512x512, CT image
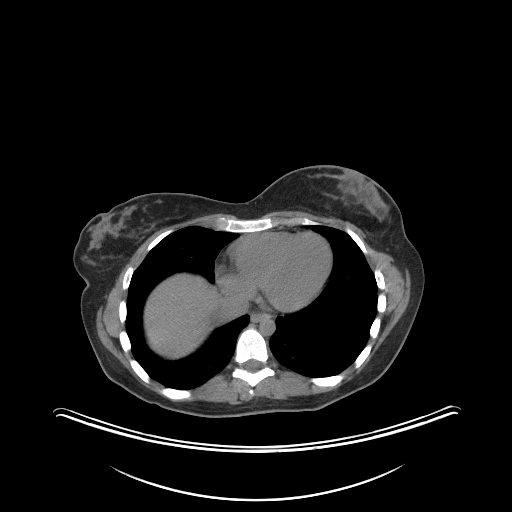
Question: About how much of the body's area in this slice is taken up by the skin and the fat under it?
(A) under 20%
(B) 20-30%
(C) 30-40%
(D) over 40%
Answer: (C) 30-40%
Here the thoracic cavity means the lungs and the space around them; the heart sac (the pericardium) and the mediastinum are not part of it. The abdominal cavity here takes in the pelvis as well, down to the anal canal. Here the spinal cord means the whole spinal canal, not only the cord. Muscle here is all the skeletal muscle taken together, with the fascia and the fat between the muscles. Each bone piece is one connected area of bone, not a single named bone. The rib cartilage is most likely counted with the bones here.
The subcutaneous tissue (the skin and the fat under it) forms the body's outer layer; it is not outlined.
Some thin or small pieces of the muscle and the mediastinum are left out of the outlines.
{"muscle":[[[282,210],[304,211],[348,221],[362,230],[374,248],[403,260],[408,265],[411,281],[406,309],[367,366],[351,380],[333,390],[290,396],[285,399],[257,397],[239,404],[203,400],[174,401],[188,399],[192,395],[192,389],[202,385],[227,366],[232,367],[230,375],[233,378],[247,383],[251,396],[254,395],[257,384],[277,373],[277,362],[308,377],[308,380],[318,387],[334,387],[344,379],[344,370],[352,364],[357,369],[370,354],[373,342],[368,340],[369,338],[374,340],[378,336],[381,317],[377,313],[382,314],[386,310],[387,300],[384,292],[386,289],[384,275],[378,267],[372,270],[368,264],[365,256],[368,250],[364,241],[348,226],[344,231],[306,216],[259,217]],[[214,213],[230,214],[238,218],[231,218],[220,215],[214,219],[213,228],[201,225],[189,225],[174,231],[172,228],[168,228],[162,231],[147,245],[145,249],[147,253],[139,265],[136,268],[132,265],[129,265],[126,268],[122,277],[121,288],[124,291],[127,291],[127,296],[126,300],[121,299],[118,304],[118,318],[119,321],[125,325],[125,329],[120,330],[118,333],[118,340],[120,346],[125,353],[130,351],[131,352],[133,358],[131,357],[128,362],[132,370],[142,381],[148,384],[151,379],[162,385],[158,392],[165,397],[163,397],[141,385],[104,347],[97,334],[96,313],[101,305],[101,302],[114,286],[121,270],[129,261],[135,251],[151,235],[164,227]]],"torso":[[[317,164],[353,168],[379,183],[398,205],[405,233],[422,260],[425,282],[420,305],[385,373],[371,385],[317,410],[237,417],[203,417],[165,409],[112,382],[98,363],[80,313],[86,284],[72,256],[87,221],[118,203],[151,192],[244,202],[283,174]]],"bones":[{"outer":[[246,327],[254,328],[261,334],[266,341],[269,352],[276,362],[276,373],[272,376],[265,377],[257,383],[253,388],[253,395],[249,393],[250,386],[248,383],[240,378],[233,377],[231,375],[233,367],[231,365],[228,366],[232,363],[238,336],[241,331]],"hole":[[250,359],[253,359],[254,360],[257,360],[259,362],[260,362],[260,363],[261,364],[261,367],[259,369],[258,369],[255,371],[249,371],[248,370],[247,370],[245,368],[244,368],[244,367],[243,366],[244,365],[244,363],[245,363],[248,360],[249,360]]},[[220,216],[231,219],[258,219],[265,217],[270,217],[271,218],[306,217],[314,221],[320,222],[321,224],[312,224],[311,225],[303,225],[302,224],[283,225],[280,224],[278,226],[266,230],[255,232],[230,232],[224,230],[214,229],[214,221],[217,217]],[[376,268],[378,268],[381,271],[383,275],[383,278],[385,283],[385,289],[383,292],[385,295],[386,305],[385,306],[385,310],[382,313],[377,312],[377,299],[378,298],[378,294],[381,291],[377,286],[375,276],[373,272],[373,271]],[[342,372],[344,372],[344,377],[343,378],[343,379],[339,383],[338,383],[336,385],[335,385],[334,386],[318,386],[317,385],[314,384],[309,380],[309,379],[312,377],[327,377],[328,376],[333,376],[334,375],[337,375],[338,374],[339,374]],[[163,387],[167,387],[168,388],[173,388],[174,389],[179,389],[180,390],[190,390],[191,391],[191,395],[188,398],[183,398],[182,399],[179,399],[178,400],[172,400],[171,399],[170,399],[169,398],[162,395],[159,392],[159,390],[161,388],[162,388]],[[131,358],[136,360],[137,361],[137,362],[144,369],[144,370],[148,374],[148,375],[150,378],[150,381],[148,383],[147,383],[146,382],[145,382],[143,380],[142,380],[136,374],[136,373],[133,370],[133,369],[132,368],[132,367],[129,362],[129,360]],[[369,342],[372,342],[372,346],[371,347],[371,349],[369,352],[369,354],[364,360],[364,361],[357,368],[355,368],[354,367],[354,365],[353,364],[355,359],[357,357],[357,356],[361,352],[361,351],[364,348],[364,347],[367,344],[367,343],[368,343]],[[346,227],[348,227],[349,228],[350,228],[354,232],[355,232],[363,241],[363,243],[364,244],[364,245],[367,250],[367,254],[366,254],[365,255],[363,253],[363,252],[361,250],[361,249],[358,246],[358,245],[355,242],[355,241],[345,231],[345,228]],[[122,330],[125,330],[125,331],[129,338],[129,340],[130,341],[130,344],[131,345],[131,348],[130,349],[130,350],[127,352],[125,352],[123,350],[123,349],[121,346],[121,344],[120,343],[120,341],[119,340],[119,333],[120,332],[120,331],[121,331]],[[377,315],[378,315],[380,317],[380,327],[379,328],[379,331],[377,334],[377,336],[374,339],[372,339],[370,337],[370,335],[369,334],[369,330],[370,329],[370,327],[371,326],[371,325],[372,324],[372,323],[373,322],[373,321],[374,320],[375,317]],[[129,266],[132,266],[134,267],[135,269],[131,276],[131,279],[130,280],[130,282],[129,283],[129,285],[128,286],[128,288],[127,290],[124,290],[122,288],[122,282],[123,281],[123,277],[124,276],[124,274],[127,268]],[[168,229],[172,229],[173,230],[173,231],[171,233],[168,234],[165,237],[164,237],[159,242],[158,242],[149,251],[148,251],[147,252],[146,251],[146,249],[147,248],[148,245],[159,234],[160,234],[162,232],[163,232],[164,231],[165,231]],[[121,300],[124,300],[126,302],[126,317],[125,318],[125,322],[124,323],[122,323],[120,321],[120,319],[119,318],[119,304],[120,303],[120,301]]],"mediastinum":[[[218,289],[225,298],[244,304],[253,309],[268,313],[285,314],[279,315],[275,319],[275,330],[269,339],[268,345],[265,338],[257,329],[251,326],[247,326],[250,320],[250,318],[247,314],[239,315],[218,327],[218,321],[221,318],[222,313],[222,302]],[[227,244],[228,244],[220,252],[220,253],[219,254],[219,255],[216,258],[216,265],[215,266],[215,281],[215,259],[216,258],[216,257],[217,256],[217,255],[219,253],[219,252],[220,251],[220,250],[221,250],[222,249],[222,248],[223,248]]],"spinal_cord":[[[250,359],[253,359],[254,360],[257,360],[259,362],[260,362],[260,363],[261,364],[261,367],[259,369],[258,369],[255,371],[249,371],[248,370],[247,370],[245,368],[244,368],[244,367],[243,366],[244,365],[244,363],[245,363],[248,360],[249,360]]],"pericardium":[[[279,229],[308,229],[316,232],[327,240],[332,251],[333,263],[329,277],[321,291],[305,306],[295,311],[287,313],[262,311],[248,306],[244,303],[225,297],[219,290],[216,281],[217,258],[221,252],[234,240],[242,236]]],"abdominal_cavity":[[[178,272],[190,272],[199,274],[206,278],[211,283],[216,282],[217,292],[221,302],[221,313],[220,318],[217,321],[217,328],[197,350],[186,357],[171,360],[164,359],[156,355],[148,347],[143,335],[142,312],[146,298],[151,290],[164,278]]],"thoracic_cavity":[[[312,225],[324,225],[341,230],[354,241],[373,273],[377,298],[376,315],[368,330],[369,337],[353,362],[337,374],[309,377],[281,365],[270,352],[269,342],[276,330],[276,319],[309,304],[322,291],[331,275],[334,263],[332,248],[325,237],[307,228]],[[189,226],[237,237],[216,255],[214,282],[199,273],[178,271],[150,290],[141,312],[147,347],[164,360],[183,359],[221,326],[242,315],[249,320],[237,336],[231,362],[202,384],[180,389],[152,379],[134,358],[125,324],[126,301],[132,276],[148,252]]]}